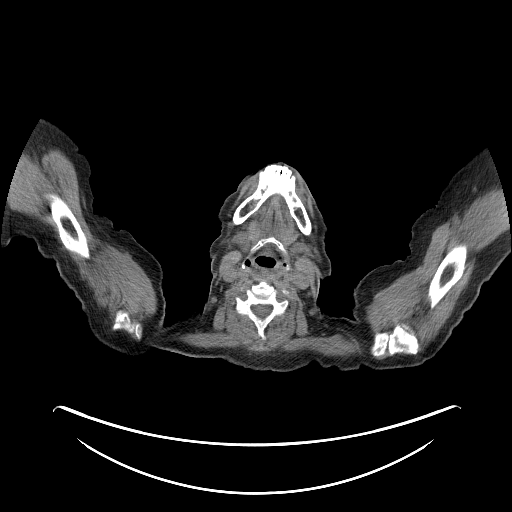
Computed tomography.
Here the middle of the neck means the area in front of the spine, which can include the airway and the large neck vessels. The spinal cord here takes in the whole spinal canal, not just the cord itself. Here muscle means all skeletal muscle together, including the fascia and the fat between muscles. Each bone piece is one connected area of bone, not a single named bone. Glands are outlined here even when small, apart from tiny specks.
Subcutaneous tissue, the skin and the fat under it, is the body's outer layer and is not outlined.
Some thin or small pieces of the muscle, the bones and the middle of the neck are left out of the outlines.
The head and neck is outlined by 277 161; 295 167; 315 199; 327 227; 325 249; 331 263; 331 273; 320 282; 317 304; 322 311; 312 326; 279 351; 255 356; 229 343; 212 324; 206 312; 204 304; 212 276; 209 248; 220 233; 218 212; 226 197; 247 174; 263 164. The torso is outlined by 204 305; 222 337; 255 357; 273 355; 296 342; 323 311; 351 317; 371 330; 416 338; 426 351; 437 354; 410 368; 361 366; 341 371; 312 362; 288 372; 246 369; 222 359; 158 349; 126 355; 97 341; 88 326; 109 320; 170 325. The muscle appears in 2 outlined pieces: piece 1: 293 172; 310 198; 317 223; 314 252; 321 263; 316 315; 356 331; 373 295; 417 266; 431 232; 468 200; 500 185; 508 226; 477 254; 468 286; 451 316; 419 353; 419 339; 407 323; 398 323; 389 333; 374 330; 368 347; 372 357; 343 358; 308 350; 249 355; 239 347; 192 346; 172 336; 209 313; 226 213; 253 176; 258 175; 255 189; 232 213; 235 226; 278 195; 301 233; 312 233, around holes outlined by 271 236; 285 248; 287 253; 283 257; 289 267; 283 275; 266 281; 278 291; 285 288; 289 294; 285 297; 288 305; 284 313; 268 323; 262 340; 250 318; 236 311; 235 297; 242 294; 241 288; 262 279; 246 273; 242 262; 252 246 and by 459 244; 464 244; 466 245; 466 247; 467 248; 465 268; 462 273; 462 275; 461 277; 447 291; 438 303; 433 308; 430 308; 429 306; 429 301; 427 299; 427 292; 428 291; 429 283; 432 279; 438 266; 442 261; 447 252; 451 248; piece 2: 32 147; 57 147; 65 153; 74 164; 92 218; 116 244; 129 252; 151 279; 157 310; 143 339; 142 324; 122 308; 114 313; 109 328; 125 332; 136 340; 121 332; 111 333; 108 332; 92 291; 61 249; 51 228; 36 218; 13 211; 6 203; 22 152; inner edge: 50 193; 58 195; 67 204; 79 223; 79 225; 85 234; 87 239; 88 247; 90 251; 90 257; 89 258; 87 259; 84 258; 74 252; 69 251; 62 243; 59 237; 56 224; 51 216; 51 211; 49 206; 49 200; 47 197; 47 195. The left arm is outlined by 484 147; 490 154; 501 185; 511 245; 507 258; 491 279; 481 286; 474 305; 464 314; 438 353; 426 350; 416 337; 371 329; 357 322; 351 310; 354 304; 352 291; 358 281; 370 270; 404 259; 410 253; 414 221; 435 205; 451 177. The parotid glands are outlined by 317 247; 318 248; 318 250; 319 251; 319 253; 320 254; 320 255; 321 256; 321 262; 321 261; 319 259; 319 258; 317 256; 317 255; 316 254; 316 253; 315 252; 315 249. The spinal cord is outlined by 257 304; 262 304; 263 305; 271 305; 271 310; 270 311; 270 312; 266 316; 265 316; 264 317; 259 317; 257 315; 256 315; 254 313; 254 312; 252 310; 252 309; 251 308; 251 306; 252 305; 256 305. The middle of the neck is outlined by 267 243; 272 243; 277 247; 284 258; 284 260; 286 263; 284 267; 285 270; 287 271; 281 276; 278 277; 269 277; 266 279; 250 275; 246 273; 243 269; 246 267; 245 263; 242 262; 244 259; 248 256; 248 254; 254 253; 258 249. The right arm is outlined by 42 117; 65 131; 87 157; 93 210; 108 217; 115 229; 127 230; 159 261; 165 298; 163 322; 146 325; 132 319; 109 319; 88 325; 80 303; 59 277; 54 261; 42 257; 32 239; 18 236; 1 246; 4 210; 12 180; 22 152. The bones appear in 7 outlined pieces: piece 1: 271 164; 285 165; 295 176; 295 192; 301 200; 311 222; 311 233; 309 235; 302 233; 290 214; 285 200; 278 194; 273 194; 268 197; 256 211; 240 224; 235 225; 232 222; 232 216; 235 209; 256 189; 259 181; 258 173; 266 166; piece 2: 262 279; 273 285; 278 291; 282 288; 289 291; 289 294; 285 297; 288 300; 288 305; 284 313; 276 315; 268 323; 264 329; 264 340; 258 337; 256 326; 250 318; 245 314; 239 314; 235 308; 235 297; 242 294; 240 289; 245 289, around a hole outlined by 257 304; 262 304; 263 305; 271 305; 271 310; 270 311; 270 312; 266 316; 265 316; 264 317; 259 317; 257 315; 256 315; 254 313; 254 312; 252 310; 252 309; 251 308; 251 306; 252 305; 256 305; piece 3: 50 193; 58 195; 67 204; 79 223; 79 225; 85 234; 87 239; 88 247; 90 251; 90 257; 89 258; 87 259; 84 258; 74 252; 69 251; 62 243; 59 237; 56 224; 51 216; 51 211; 49 206; 49 200; 47 197; 47 195; piece 4: 459 244; 464 244; 466 245; 466 247; 467 248; 465 268; 462 273; 462 275; 461 277; 447 291; 438 303; 433 308; 430 308; 429 306; 429 301; 427 299; 427 292; 428 291; 429 283; 432 279; 438 266; 442 261; 447 252; 451 248; piece 5: 398 324; 400 325; 407 324; 413 328; 418 339; 418 343; 419 344; 418 353; 415 355; 395 354; 392 356; 389 356; 385 354; 378 358; 373 357; 369 352; 369 347; 372 343; 373 332; 374 331; 386 332; 389 334; 392 332; 395 326; piece 6: 120 309; 125 310; 129 314; 130 318; 133 321; 136 321; 141 324; 143 331; 142 332; 142 338; 140 340; 137 340; 132 335; 127 333; 125 331; 122 330; 119 331; 112 331; 111 330; 110 327; 113 322; 115 316; 115 313; piece 7: 271 236; 272 237; 274 237; 280 242; 281 242; 287 252; 286 255; 283 255; 278 247; 272 242; 267 242; 262 245; 259 248; 258 248; 254 252; 250 253; 250 249; 252 247; 252 246; 253 246; 260 239; 262 238; 270 237.